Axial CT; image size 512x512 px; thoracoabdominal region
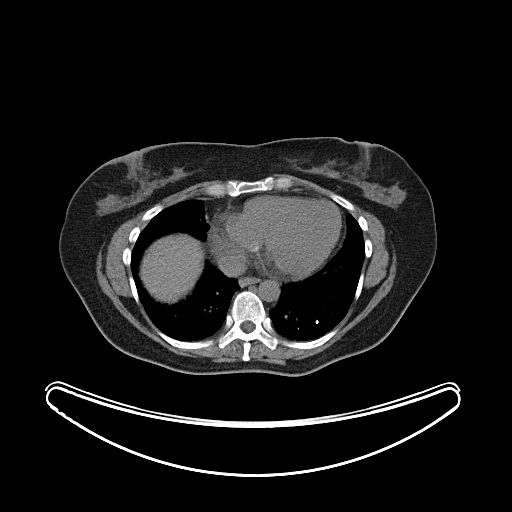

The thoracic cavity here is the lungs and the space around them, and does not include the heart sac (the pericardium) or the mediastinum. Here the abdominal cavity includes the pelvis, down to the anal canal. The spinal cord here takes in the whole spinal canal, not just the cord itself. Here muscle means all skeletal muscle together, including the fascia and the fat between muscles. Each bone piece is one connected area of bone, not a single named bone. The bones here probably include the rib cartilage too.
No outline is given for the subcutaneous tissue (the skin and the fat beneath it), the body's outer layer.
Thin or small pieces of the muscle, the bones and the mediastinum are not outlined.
The thoracic cavity appears in 2 outlined pieces: piece 1: 190,198 203,202 208,225 205,241 181,231 154,239 143,250 137,267 143,288 158,304 176,304 192,293 206,260 234,278 239,288 221,329 209,338 186,341 167,335 152,322 130,265 134,244 148,222 165,208; piece 2: 350,213 356,219 362,231 364,259 353,299 346,313 331,330 317,338 310,340 290,340 284,338 275,330 268,315 269,310 273,308 279,300 282,285 312,276 319,272 336,255 342,247 346,237 347,216. The pericardium is outlined by 279,190 304,190 315,195 325,196 331,199 343,211 344,233 335,253 319,271 295,281 284,281 258,275 248,269 243,269 243,266 238,261 226,260 220,265 210,253 207,243 210,221 214,214 227,200 235,196. The bones appear in 9 outlined pieces: piece 1: 245,290 261,300 272,327 284,339 310,341 334,328 337,332 308,349 282,344 270,349 255,339 250,342 249,360 243,360 243,341 238,338 222,348 216,341 201,348 173,346 158,330 186,342 215,338 235,295, around a hole outlined by 245,321 250,321 251,322 252,322 254,324 254,328 251,331 250,331 249,332 246,332 245,331 244,331 241,328 241,327 240,326 240,325 243,322 244,322; piece 2: 267,176 272,176 275,178 289,177 292,180 293,185 287,189 271,189 265,191 246,192 234,196 230,196 229,195 223,195 222,196 206,195 203,190 206,186 215,183 224,183 228,180 254,181 255,180 263,179; piece 3: 330,193 335,193 336,194 338,194 342,196 344,198 347,199 353,205 354,207 354,210 350,212 347,209 346,209 344,207 343,207 341,205 340,205 338,203 334,201 331,198 329,197 329,194; piece 4: 156,204 161,204 164,206 164,208 162,210 161,210 158,213 157,213 151,219 150,219 148,221 143,221 142,220 142,217 143,216 143,215 144,214 144,213 148,209 149,209 151,207 152,207 153,206 154,206; piece 5: 130,275 132,276 133,278 133,280 134,281 134,283 135,284 135,287 137,291 137,295 139,299 139,302 138,303 137,303 135,301 133,297 132,292 131,291 131,288 130,287 130,284 129,283 129,276; piece 6: 135,226 139,226 140,227 140,229 141,230 140,231 140,232 139,233 139,234 138,235 138,236 137,237 137,238 136,239 135,242 134,243 132,243 129,241 129,234 130,233 131,230; piece 7: 361,272 362,272 364,275 363,277 363,283 362,284 362,289 361,290 361,292 358,298 356,300 355,300 354,299 354,296 355,295 355,292 357,288 357,285 359,281 359,278 360,277 360,274; piece 8: 367,238 368,238 370,240 370,241 371,242 371,244 372,245 372,250 371,251 371,255 368,258 367,258 366,257 365,257 365,243 364,242 364,240 365,239 366,239; piece 9: 360,215 361,215 362,216 363,216 364,217 364,218 366,220 366,221 367,222 367,230 366,231 363,231 362,230 362,229 361,228 361,227 359,225 359,224 358,223 358,221 357,220 357,218. The mediastinum appears in 3 outlined pieces: piece 1: 207,239 206,243 207,244 208,251 220,266 226,261 238,262 243,270 248,270 265,278 287,282 281,285 276,304 267,312 262,300 251,290 241,290 234,296 240,288 238,281 234,277 225,275 208,259 208,251 206,248 206,240; piece 2: 204,195 206,196 213,196 214,197 222,197 223,196 229,196 230,197 232,197 227,199 218,208 217,211 216,211 213,214 211,219 209,221 209,226 205,219 204,202 201,199 199,198 196,198 196,197 203,196; piece 3: 337,204 347,210 349,212 349,213 346,216 346,233 345,234 345,237 343,240 343,242 342,243 341,247 336,253 338,248 340,247 342,243 342,241 344,237 344,234 345,233 345,216 344,215 344,211. The abdominal cavity is outlined by 176,232 189,234 191,236 193,236 194,238 196,238 202,242 205,242 205,248 207,251 207,259 204,262 202,273 191,293 176,303 167,305 158,303 152,299 142,284 138,274 138,267 144,250 154,240 162,236. The muscle appears in 3 outlined pieces: piece 1: 352,203 373,214 384,227 386,241 395,243 394,281 388,293 363,319 330,346 304,360 286,364 217,363 202,357 176,354 129,322 97,281 96,260 103,242 108,244 122,223 147,209 141,217 147,223 142,229 135,225 130,230 128,241 133,246 126,246 121,258 123,264 130,267 128,283 134,301 141,303 162,339 173,347 186,350 206,348 216,342 222,349 238,339 242,341 243,361 250,360 251,342 255,340 270,350 278,345 313,349 338,332 335,327 363,289 362,266 365,258 372,255 373,245 363,236 368,230 368,222 363,215 356,218 351,213 355,210; piece 2: 217,179 220,180 227,179 238,179 228,179 226,181 224,182 215,182 206,185 202,190 204,194 203,195 187,198 187,195 184,194 177,200 179,201 166,207 161,203 157,203 163,198 180,191 186,187 196,183 204,181 211,181; piece 3: 275,173 283,173 299,177 303,179 306,179 334,192 330,192 328,194 328,197 313,190 304,189 303,188 302,189 296,189 295,187 292,187 294,185 294,182 289,176 275,177 272,175 270,175. The spinal cord is outlined by 245,321 250,321 251,322 252,322 254,324 254,328 251,331 250,331 249,332 246,332 245,331 244,331 241,328 241,327 240,326 240,325 243,322 244,322. The torso is outlined by 314,136 378,143 394,150 421,178 432,199 437,233 433,265 394,328 379,344 300,376 261,372 196,375 132,357 117,349 102,335 66,277 58,247 69,200 94,169 112,158 162,143 223,142 251,145.